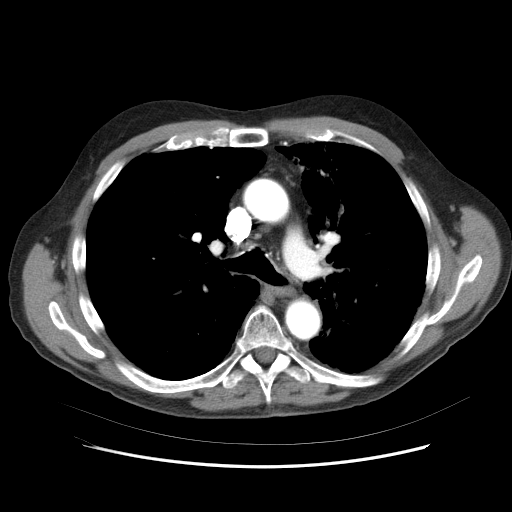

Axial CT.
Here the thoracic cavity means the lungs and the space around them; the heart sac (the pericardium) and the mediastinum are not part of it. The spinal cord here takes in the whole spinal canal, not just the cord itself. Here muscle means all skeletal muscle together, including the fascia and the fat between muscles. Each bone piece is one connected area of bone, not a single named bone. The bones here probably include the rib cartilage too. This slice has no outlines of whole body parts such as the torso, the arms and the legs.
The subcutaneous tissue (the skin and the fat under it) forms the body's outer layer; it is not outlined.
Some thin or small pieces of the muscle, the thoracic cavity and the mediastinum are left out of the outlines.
{"thoracic_cavity":[[[198,146],[255,148],[265,155],[260,169],[242,182],[227,203],[223,226],[228,238],[225,256],[235,259],[258,249],[287,283],[259,282],[241,334],[219,363],[192,377],[163,379],[134,365],[108,335],[89,295],[86,231],[95,203],[131,160],[147,152]],[[315,141],[358,146],[381,156],[402,181],[425,231],[424,290],[413,320],[388,355],[358,373],[331,368],[300,350],[307,350],[312,339],[324,335],[320,304],[304,289],[306,283],[320,275],[322,256],[308,225],[312,207],[302,189],[302,170],[276,147]]],"bones":[{"outer":[[260,304],[307,357],[343,373],[381,375],[383,380],[375,385],[346,387],[312,377],[303,383],[282,371],[266,403],[258,379],[249,372],[231,388],[220,382],[167,393],[138,386],[115,364],[119,359],[163,380],[201,375],[232,352],[246,317]],"hole":[[263,346],[266,346],[267,347],[270,347],[271,348],[272,348],[275,350],[275,356],[274,357],[273,360],[270,363],[269,363],[268,364],[262,364],[261,363],[258,362],[256,360],[256,359],[254,356],[254,351],[257,348],[259,348],[260,347],[262,347]]},[[218,126],[224,126],[230,129],[242,126],[263,127],[268,131],[269,134],[269,142],[265,145],[256,147],[198,145],[187,148],[160,152],[151,151],[153,148],[162,144],[175,134],[186,132],[197,132],[196,133],[197,134],[205,135],[208,133],[209,130]],[[476,254],[481,256],[482,261],[479,271],[473,281],[465,282],[461,286],[455,300],[446,313],[436,322],[427,325],[411,348],[404,355],[396,358],[397,352],[393,350],[409,329],[413,321],[425,312],[431,315],[441,308],[444,301],[452,295],[461,269]],[[302,128],[305,129],[307,128],[311,129],[329,128],[333,130],[338,130],[365,141],[373,146],[380,154],[378,154],[365,147],[349,143],[337,142],[336,141],[323,141],[322,140],[315,140],[314,141],[305,140],[300,136],[297,135],[297,130]],[[51,301],[55,301],[58,304],[67,323],[71,327],[83,334],[86,337],[88,342],[92,346],[95,348],[102,350],[106,355],[105,357],[103,358],[98,358],[88,353],[82,348],[76,339],[67,330],[59,329],[53,323],[48,310],[48,305]],[[433,244],[436,244],[439,249],[439,252],[440,253],[440,269],[439,270],[439,274],[438,275],[438,277],[437,278],[435,286],[432,292],[429,293],[426,290],[425,290],[425,278],[426,277],[426,273],[427,272],[427,264],[428,263],[428,249]],[[81,292],[85,294],[90,298],[90,300],[94,308],[96,310],[100,319],[102,321],[104,325],[105,331],[101,331],[98,335],[97,335],[91,329],[91,328],[87,323],[81,311],[81,309],[79,305],[79,301],[78,300],[78,296],[79,295],[79,293]],[[404,176],[409,178],[413,182],[413,183],[417,188],[423,201],[425,203],[425,205],[426,206],[426,208],[429,215],[429,219],[430,220],[430,228],[429,229],[425,228],[423,224],[423,222],[414,204],[412,202],[412,200],[403,183],[402,177]],[[119,160],[125,160],[125,164],[120,170],[120,171],[113,180],[113,181],[110,184],[110,185],[102,193],[102,194],[98,198],[98,199],[95,202],[93,202],[92,199],[93,198],[93,194],[94,193],[94,191],[99,181],[101,179],[102,176],[115,162]],[[79,234],[83,234],[85,236],[85,270],[84,271],[81,271],[79,273],[76,273],[75,272],[75,270],[74,269],[74,267],[73,266],[73,263],[72,262],[72,247],[73,246],[73,241],[74,240],[74,239],[75,238],[75,237],[77,235],[78,235]]],"spinal_cord":[[[263,346],[266,346],[267,347],[270,347],[271,348],[272,348],[275,350],[275,356],[274,357],[273,360],[270,363],[269,363],[268,364],[262,364],[261,363],[258,362],[256,360],[256,359],[254,356],[254,351],[257,348],[259,348],[260,347],[262,347]]],"mediastinum":[[[283,140],[311,141],[275,147],[301,170],[311,207],[307,225],[321,256],[319,275],[303,289],[319,304],[323,335],[312,338],[307,349],[294,345],[269,307],[260,303],[250,311],[260,282],[288,283],[261,250],[226,256],[228,203],[266,162],[256,148]]],"muscle":[{"outer":[[212,119],[244,125],[230,128],[218,125],[205,134],[197,131],[175,133],[150,151],[137,155],[127,163],[125,159],[119,159],[106,170],[92,194],[94,204],[87,220],[85,235],[79,233],[72,241],[71,262],[76,274],[85,271],[88,295],[81,291],[77,300],[86,323],[97,336],[106,332],[132,363],[116,358],[114,364],[138,387],[151,393],[167,394],[212,388],[220,383],[224,388],[231,389],[246,373],[253,375],[259,383],[265,403],[222,411],[199,409],[181,398],[154,396],[85,372],[65,361],[44,345],[32,330],[24,312],[22,287],[23,266],[36,242],[43,243],[60,257],[65,253],[71,229],[68,222],[93,182],[100,162],[111,151],[130,138],[163,124]],"hole":[[51,301],[55,301],[58,304],[67,323],[71,327],[83,334],[86,337],[88,342],[92,346],[95,348],[102,350],[106,355],[105,357],[103,358],[98,358],[88,353],[82,348],[76,339],[67,330],[59,329],[53,323],[48,310],[48,305]]},[[320,115],[367,126],[399,147],[405,157],[403,169],[422,186],[448,236],[454,234],[459,206],[466,204],[474,206],[491,220],[500,241],[501,269],[491,293],[476,315],[383,382],[385,378],[381,374],[359,373],[374,366],[392,352],[396,352],[396,359],[404,356],[425,328],[447,313],[462,286],[474,281],[483,260],[482,256],[476,253],[460,269],[451,295],[443,301],[440,308],[431,314],[425,311],[414,319],[424,291],[429,294],[433,292],[441,269],[438,245],[433,243],[428,248],[427,245],[425,229],[431,228],[430,215],[414,182],[405,175],[401,179],[373,145],[338,129],[302,127],[296,130],[296,135],[304,140],[270,141],[269,131],[263,126],[257,126],[273,118]],[[282,372],[284,372],[290,377],[303,384],[309,382],[312,378],[318,383],[331,384],[339,387],[345,387],[346,388],[363,388],[360,388],[354,391],[348,396],[334,402],[326,402],[304,406],[291,403],[269,404],[272,401],[271,391],[273,382],[277,376]]]}